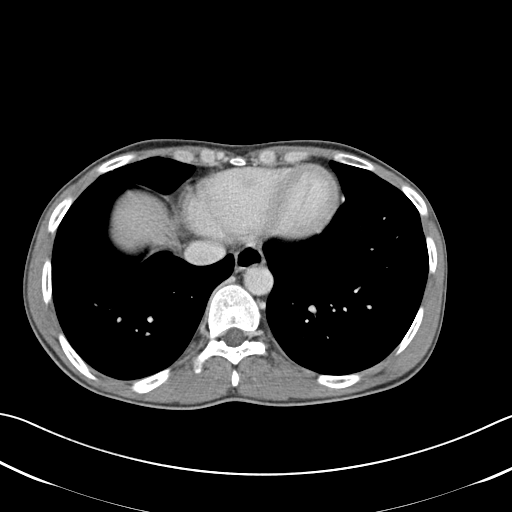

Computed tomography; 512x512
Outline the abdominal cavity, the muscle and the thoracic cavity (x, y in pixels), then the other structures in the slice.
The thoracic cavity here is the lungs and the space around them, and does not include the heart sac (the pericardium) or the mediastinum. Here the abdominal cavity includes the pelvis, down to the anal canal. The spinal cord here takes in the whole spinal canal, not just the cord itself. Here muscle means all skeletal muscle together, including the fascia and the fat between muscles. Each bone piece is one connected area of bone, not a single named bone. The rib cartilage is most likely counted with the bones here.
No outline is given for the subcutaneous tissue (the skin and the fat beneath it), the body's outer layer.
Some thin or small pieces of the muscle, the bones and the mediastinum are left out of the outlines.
Outlines (x, y in pixels):
abdominal cavity: 135 186; 145 186; 162 194; 172 207; 173 213; 179 225; 177 227; 177 237; 181 243; 181 247; 177 252; 177 255; 168 250; 162 250; 142 259; 140 255; 124 255; 116 250; 111 244; 108 239; 107 228; 109 214; 114 200; 124 190
muscle 1: 93 168; 98 176; 76 198; 72 195; 64 197; 53 208; 49 216; 46 229; 55 235; 51 257; 48 256; 44 259; 40 276; 42 300; 45 305; 53 303; 61 328; 57 334; 61 349; 71 364; 87 378; 94 381; 98 379; 91 371; 91 367; 118 380; 133 380; 130 389; 135 393; 144 394; 163 384; 169 378; 173 367; 198 351; 192 359; 192 369; 195 374; 199 374; 204 363; 213 356; 222 357; 236 366; 242 359; 250 355; 266 356; 268 344; 296 365; 317 373; 315 379; 320 385; 340 389; 355 384; 361 379; 362 371; 379 363; 392 352; 395 355; 400 354; 411 342; 422 322; 425 309; 421 302; 428 274; 433 274; 436 271; 438 262; 436 243; 430 235; 425 235; 423 231; 421 217; 428 215; 426 203; 441 237; 444 260; 439 317; 429 347; 413 367; 398 377; 359 391; 325 397; 273 400; 229 391; 219 397; 196 403; 166 403; 126 397; 90 384; 65 364; 38 329; 28 301; 28 273; 37 236; 49 208; 65 189; inner edge: 234 368; 235 368; 236 369; 236 370; 237 371; 237 372; 238 373; 238 375; 239 376; 239 380; 238 381; 238 383; 237 384; 237 385; 236 386; 233 386; 232 385; 232 383; 231 382; 231 374; 232 373; 232 370
muscle 2: 174 146; 201 146; 207 148; 216 148; 230 151; 237 155; 243 155; 253 150; 262 149; 271 146; 312 146; 335 149; 347 152; 336 151; 333 153; 331 159; 326 159; 321 157; 309 158; 310 153; 306 150; 288 150; 284 152; 280 158; 284 162; 275 164; 277 162; 278 156; 276 152; 271 149; 264 149; 260 151; 256 156; 254 161; 255 163; 247 163; 247 161; 240 155; 228 157; 221 150; 215 151; 210 148; 203 148; 198 153; 198 159; 202 164; 198 164; 193 163; 196 157; 190 150; 187 149; 176 149; 172 152; 171 157; 155 155; 138 160; 137 160; 138 159; 136 154; 133 152; 120 154; 131 151; 163 147; 173 147
muscle 3: 371 162; 373 162; 385 168; 387 170; 394 173; 410 185; 408 184; 406 184; 405 183; 403 183; 400 185; 399 188; 397 187; 389 181; 386 180; 384 178; 381 177; 379 175; 375 173; 377 172; 377 169; 376 167
thoracic cavity 1: 330 160; 370 171; 404 194; 419 214; 428 261; 420 304; 400 341; 379 362; 346 374; 318 373; 300 366; 258 337; 258 332; 268 326; 266 302; 274 285; 274 276; 263 246; 273 240; 284 243; 307 240; 319 235; 330 223; 345 198
thoracic cavity 2: 155 156; 191 164; 192 173; 170 194; 145 185; 124 189; 109 210; 110 244; 127 257; 168 251; 196 266; 230 255; 233 268; 207 300; 200 320; 205 345; 172 367; 118 379; 90 366; 63 332; 53 302; 52 252; 61 221; 92 182
bones 1: 227 284; 241 286; 257 303; 260 311; 260 322; 256 335; 266 344; 267 354; 250 354; 242 358; 236 365; 233 365; 222 356; 213 355; 203 363; 201 371; 195 373; 193 359; 208 343; 209 339; 208 317; 212 299; inner edge: 230 328; 237 328; 238 329; 239 329; 240 330; 243 331; 245 333; 245 334; 246 335; 246 338; 240 344; 239 344; 238 345; 236 345; 235 346; 231 346; 230 345; 228 345; 221 338; 221 337; 223 335; 223 334; 228 329; 229 329
bones 2: 62 331; 66 339; 68 341; 70 345; 73 348; 73 349; 89 366; 90 368; 90 371; 97 378; 96 380; 91 379; 84 375; 81 372; 80 372; 72 364; 72 363; 66 356; 65 353; 62 349; 62 347; 58 339; 58 334
bones 3: 168 367; 169 368; 171 368; 168 378; 163 383; 160 384; 153 389; 147 392; 145 392; 144 393; 138 393; 137 392; 133 391; 131 389; 130 387; 134 380; 136 380; 137 379; 140 379; 141 378; 143 378; 144 377; 152 375
bones 4: 203 149; 210 149; 215 152; 221 151; 223 152; 228 158; 231 158; 236 156; 240 156; 246 161; 246 164; 245 165; 233 165; 228 162; 224 162; 223 163; 221 163; 219 165; 213 165; 212 166; 204 165; 199 159; 199 153; 201 150
bones 5: 358 372; 361 372; 361 377; 360 379; 355 383; 346 387; 341 387; 340 388; 332 388; 331 387; 328 387; 325 385; 318 383; 316 379; 317 378; 317 375; 318 374; 326 374; 327 375; 346 375; 347 374; 352 374; 353 373; 357 373
bones 6: 67 196; 72 196; 73 197; 75 197; 75 199; 72 202; 72 203; 66 211; 65 214; 63 216; 62 219; 60 221; 54 234; 52 234; 50 232; 49 232; 47 229; 50 216; 54 208; 64 198; 65 198
bones 7: 129 153; 133 153; 135 154; 137 159; 135 161; 119 166; 116 168; 114 168; 111 170; 104 172; 99 175; 98 175; 94 170; 94 168; 96 166; 111 158; 113 158; 116 156; 123 155; 124 154; 128 154
bones 8: 420 305; 422 305; 423 306; 424 310; 423 311; 423 316; 417 331; 415 333; 414 336; 410 342; 406 346; 406 347; 400 353; 398 354; 395 354; 393 352; 393 350; 398 345; 398 344; 405 335; 406 332; 411 325
bones 9: 48 257; 49 257; 50 258; 51 258; 51 292; 52 293; 52 301; 51 302; 50 302; 48 304; 45 304; 45 303; 43 300; 43 295; 42 294; 42 288; 41 287; 41 276; 42 275; 42 268; 43 267; 43 264; 45 261; 45 259
bones 10: 336 152; 347 153; 348 154; 355 155; 361 158; 363 158; 370 162; 375 167; 376 169; 376 172; 373 172; 370 170; 368 170; 364 168; 361 168; 357 166; 354 166; 346 163; 342 163; 341 162; 336 161; 332 159; 334 153
bones 11: 403 184; 405 184; 406 185; 408 185; 410 186; 412 188; 413 188; 421 196; 427 208; 427 215; 425 216; 420 216; 420 214; 418 210; 416 208; 416 207; 400 189; 400 187; 401 185
bones 12: 426 235; 430 236; 433 239; 435 243; 435 247; 436 248; 436 252; 437 253; 437 262; 436 263; 435 271; 433 273; 428 273; 429 272; 429 261; 428 260; 428 252; 427 251; 427 245; 426 244; 426 239; 425 238; 425 236
pericardium: 308 162; 317 163; 329 169; 337 179; 343 196; 343 201; 331 220; 317 235; 295 242; 268 239; 255 245; 233 245; 217 237; 194 235; 178 223; 173 209; 176 205; 178 190; 188 180; 206 171; 220 167; 245 166; 247 164; 282 166
torso: 151 138; 230 144; 329 140; 361 149; 413 181; 427 196; 438 218; 448 265; 443 322; 423 367; 396 387; 352 399; 300 406; 229 401; 190 410; 112 399; 66 375; 38 342; 24 310; 22 277; 33 231; 50 198; 80 170; 112 150
mediastinum 1: 178 227; 233 246; 255 246; 272 240; 262 246; 273 276; 265 302; 266 327; 258 331; 261 311; 252 295; 237 283; 227 283; 211 299; 208 334; 201 320; 212 292; 231 275; 233 257; 229 254; 206 265; 190 263; 178 256; 182 247
mediastinum 2: 224 163; 228 163; 232 165; 220 166; 206 170; 184 182; 179 187; 176 192; 176 199; 175 200; 174 207; 164 197; 163 195; 170 195; 172 194; 193 173; 195 169; 195 166; 192 164; 197 164; 198 165; 212 167; 213 166; 219 166
mediastinum 3: 312 158; 321 158; 322 159; 329 160; 328 161; 328 163; 332 170; 335 173; 337 178; 335 174; 329 168; 326 167; 324 165; 322 165; 320 163; 312 162; 311 161; 302 162; 301 163; 294 163; 300 162; 308 159; 311 159
spinal cord: 230 328; 237 328; 238 329; 239 329; 240 330; 243 331; 245 333; 245 334; 246 335; 246 338; 240 344; 239 344; 238 345; 236 345; 235 346; 231 346; 230 345; 228 345; 221 338; 221 337; 223 335; 223 334; 228 329; 229 329